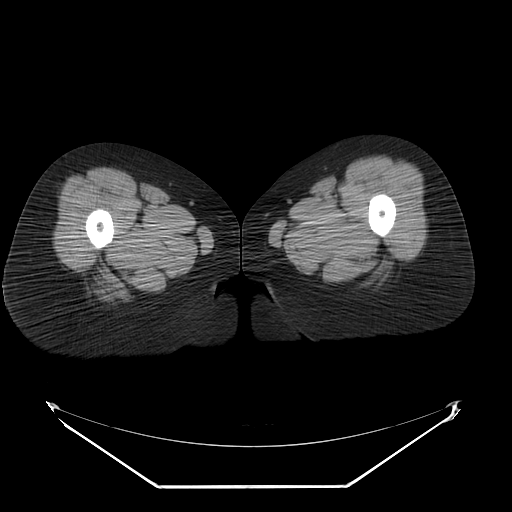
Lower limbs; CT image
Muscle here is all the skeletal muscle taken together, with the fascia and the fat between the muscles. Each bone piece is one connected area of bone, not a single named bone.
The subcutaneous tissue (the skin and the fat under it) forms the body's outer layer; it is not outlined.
Outlines (x, y in pixels):
right leg: 100,141 139,146 178,163 212,187 235,214 240,225 240,271 228,282 228,288 238,295 239,323 237,335 226,347 190,347 158,358 76,361 34,347 11,320 4,298 3,268 25,201 39,176 56,158 77,146
bones 1: 381,193 386,194 391,197 396,206 396,215 395,216 395,219 394,220 393,225 386,235 383,237 375,233 370,228 370,226 368,222 368,217 367,216 368,214 368,205 369,204 370,199 374,195 376,194 380,194
bones 2: 96,208 102,208 105,210 107,210 111,215 112,221 113,222 113,225 114,226 114,236 112,240 105,246 99,249 95,248 95,247 90,242 87,235 85,233 85,220 86,219 86,217 87,215 91,211 92,211
left leg: 361,133 387,133 406,138 427,151 443,170 461,208 472,248 476,284 471,303 451,325 416,338 379,337 339,344 305,339 295,344 256,343 250,331 248,309 254,286 241,270 243,218 258,197 288,168 333,141
muscle 1: 372,154 388,154 406,158 414,163 423,174 423,183 425,186 424,209 429,222 429,236 422,255 418,256 409,265 395,288 379,297 362,300 341,300 314,294 308,291 288,268 268,254 263,234 295,195 341,164, around a hole outlined by 381,193 386,194 391,197 396,206 396,215 395,216 395,219 394,220 393,225 386,235 383,237 375,233 370,228 370,226 368,222 368,217 367,216 368,214 368,205 369,204 370,199 374,195 376,194 380,194
muscle 2: 96,165 112,165 148,179 177,197 209,227 217,244 213,256 201,265 191,278 168,294 133,301 120,308 91,306 86,300 83,279 76,272 69,272 60,265 54,255 50,238 57,219 57,191 61,183 71,174 with a hole at 96,208 102,208 105,210 107,210 111,215 112,221 113,222 113,225 114,226 114,236 112,240 105,246 99,249 95,248 95,247 90,242 87,235 85,233 85,220 86,219 86,217 87,215 91,211 92,211